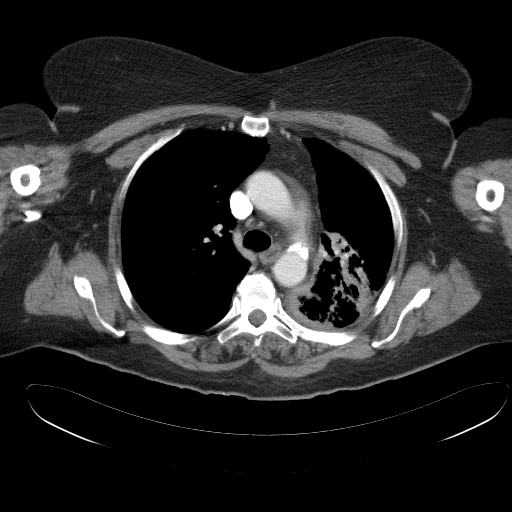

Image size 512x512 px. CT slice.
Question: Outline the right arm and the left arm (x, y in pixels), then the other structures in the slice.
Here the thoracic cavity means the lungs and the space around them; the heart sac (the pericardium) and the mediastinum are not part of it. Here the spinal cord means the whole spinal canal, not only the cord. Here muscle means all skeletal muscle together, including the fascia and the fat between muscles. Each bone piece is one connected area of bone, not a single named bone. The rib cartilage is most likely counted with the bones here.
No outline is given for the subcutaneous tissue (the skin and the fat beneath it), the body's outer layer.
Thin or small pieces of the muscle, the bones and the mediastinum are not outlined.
Answer: Outlines (x, y in pixels):
right arm: 14,102 28,102 38,106 51,118 54,125 57,129 58,136 60,139 60,195 59,196 59,200 58,201 56,213 52,221 48,225 46,230 42,236 37,241 30,253 18,264 0,276 0,108 6,104 9,104
left arm: 494,116 506,116 511,118 511,323 501,315 484,297 463,265 455,248 454,243 452,241 452,238 442,212 442,206 441,205 441,188 449,163 450,150 453,143 454,136 456,137 466,128 472,125 480,124 488,118
mediastinum: 274,130 281,130 288,137 285,130 307,135 301,139 315,171 325,231 320,235 321,249 317,266 307,285 283,299 264,271 248,272 251,263 233,242 231,231 237,222 229,207 233,190 264,160 269,151 265,137
bones 1: 259,271 270,278 283,308 298,323 320,331 354,330 356,338 340,345 313,342 300,337 291,343 276,333 267,331 260,344 255,346 255,337 242,332 221,344 216,338 216,331 209,328 229,310 236,287 244,276; inner edge: 254,310 260,310 262,312 263,312 263,313 265,315 265,319 260,324 259,324 258,325 254,325 252,323 251,323 250,322 250,321 249,320 249,315
bones 2: 366,162 373,166 380,172 383,177 387,181 396,196 400,208 401,216 402,217 402,237 401,238 401,243 398,248 395,243 392,219 391,218 391,214 390,213 390,210 388,204 378,183 366,168 365,165
bones 3: 29,163 34,164 39,167 40,169 40,179 41,180 41,183 38,187 38,188 33,193 29,195 26,195 24,196 23,195 20,195 13,189 10,183 9,174 13,168 17,167 18,166 20,166 21,165 28,164
bones 4: 483,179 494,179 495,180 497,180 501,182 504,185 504,195 503,196 503,200 501,204 496,209 492,211 487,211 483,209 478,204 475,198 475,193 476,192 476,186 477,185 477,183 479,181
bones 5: 181,123 185,123 186,124 186,126 184,130 152,153 140,165 137,169 128,186 124,199 120,201 119,200 119,194 120,193 122,185 125,180 125,178 127,174 139,156 160,136 164,134 169,129 171,128 175,128
bones 6: 144,323 147,323 151,325 154,325 158,327 161,327 162,328 164,328 174,332 177,332 178,333 195,334 199,336 200,338 195,341 187,342 184,344 166,344 165,343 162,343 152,339 142,330 142,325
bones 7: 75,274 80,276 84,276 87,278 91,285 93,296 95,299 99,314 107,322 117,329 123,329 125,331 123,336 116,337 113,333 106,329 100,323 96,317 91,301 87,298 81,297 77,293 73,283 73,277
bones 8: 428,286 430,287 429,297 420,307 413,308 406,313 403,317 400,323 399,328 393,338 391,340 381,344 378,347 373,347 371,345 372,341 374,340 380,340 386,337 394,329 401,311 413,297 416,292 420,288
bones 9: 245,115 249,115 250,116 264,116 266,117 269,121 269,123 271,127 271,131 270,131 265,136 263,137 260,137 259,136 252,136 251,135 249,135 246,133 242,132 240,130 240,123 241,122 242,118
bones 10: 116,266 118,266 122,270 122,272 125,278 125,280 133,296 133,298 135,301 133,303 134,305 134,308 135,309 134,311 132,311 128,307 120,293 120,291 117,285 117,282 116,281 115,274 114,273 114,268
bones 11: 393,274 395,276 395,283 394,284 394,287 391,293 391,295 389,297 389,299 381,311 376,316 372,317 371,316 373,312 373,307 374,306 374,304 376,302 379,295 381,293 387,280 389,277
torso: 108,34 160,42 247,72 384,35 421,37 453,53 474,88 467,110 451,123 441,212 471,280 511,324 511,341 361,389 291,400 203,394 42,346 0,357 0,277 31,253 61,195 61,139 41,67 68,42
muscle 1: 181,103 234,105 255,114 270,108 319,109 350,113 375,122 414,152 422,163 420,168 410,168 406,172 406,183 402,187 394,187 401,205 406,209 408,229 406,263 426,260 435,264 440,270 450,262 452,257 457,257 470,271 481,290 480,300 460,318 429,334 414,336 407,343 390,349 378,350 368,359 337,358 320,371 293,379 264,373 252,360 226,371 189,370 168,360 149,345 131,343 122,337 126,333 123,328 117,328 100,314 92,285 84,275 76,273 73,275 73,287 81,298 90,301 99,323 114,336 97,331 85,320 26,312 22,305 26,285 41,269 55,241 59,243 64,258 67,258 76,246 93,248 102,255 105,253 112,198 124,170 110,169 100,154 75,153 67,171 70,178 69,186 60,191 63,197 47,206 43,223 26,230 3,253 0,253 0,135 4,135 5,140 20,144 25,142 37,145 71,144 130,114; inner edges: 245,115 264,116 272,131 319,138 364,168 370,164 396,196 402,237 386,276 395,276 394,287 376,316 372,308 345,329 357,333 347,343 300,337 291,343 267,331 258,346 246,332 221,344 207,328 195,341 166,344 142,330 144,323 160,326 136,301 132,311 120,293 114,273 116,266 123,269 119,194 136,160 181,123 185,131 222,122 239,130, then 29,163 34,164 39,167 40,169 40,179 41,180 41,183 38,187 38,188 33,193 29,195 26,195 24,196 23,195 20,195 13,189 10,183 9,174 13,168 17,167 18,166 20,166 21,165 28,164, then 428,286 430,287 429,297 420,307 413,308 406,313 403,317 400,323 399,328 393,338 391,340 381,344 378,347 373,347 371,345 372,341 374,340 380,340 386,337 394,329 401,311 413,297 416,292 420,288
muscle 2: 508,157 511,157 511,256 508,254 507,249 501,242 501,238 497,234 491,234 486,232 482,232 475,229 473,224 456,209 455,205 450,198 450,184 449,183 452,175 460,167 467,166 470,164 485,159 507,158; inner edge: 483,179 494,179 495,180 497,180 501,182 504,185 504,195 503,196 503,200 501,204 496,209 492,211 487,211 483,209 478,204 475,198 475,193 476,192 476,186 477,185 477,183 479,181
spinal cord: 254,310 260,310 262,312 263,312 263,313 265,315 265,319 260,324 259,324 258,325 254,325 252,323 251,323 250,322 250,321 249,320 249,315
thoracic cavity 1: 204,126 233,129 252,137 264,137 268,151 228,197 229,211 236,222 230,231 232,242 250,263 247,272 236,285 230,306 219,320 198,333 185,333 160,326 135,300 123,272 121,218 129,186 141,165 182,132
thoracic cavity 2: 306,136 327,142 365,168 377,183 390,214 394,245 386,281 371,310 345,330 328,331 308,327 292,317 283,306 282,300 290,294 301,292 316,272 322,249 321,235 326,231 322,220 316,171 311,154 302,139